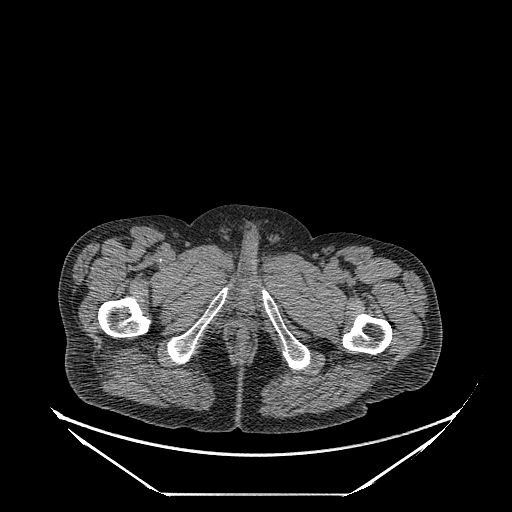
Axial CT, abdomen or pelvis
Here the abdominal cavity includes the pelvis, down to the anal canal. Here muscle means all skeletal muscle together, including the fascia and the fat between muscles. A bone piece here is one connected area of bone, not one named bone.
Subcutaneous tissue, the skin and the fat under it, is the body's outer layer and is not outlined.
The torso is outlined by 224 204; 276 208; 298 219; 313 236; 352 232; 399 245; 418 257; 433 281; 442 322; 441 351; 430 380; 368 404; 365 415; 351 421; 282 434; 172 429; 78 398; 64 369; 66 341; 57 299; 70 247; 107 221; 165 214; 191 222. The muscle is outlined by 133 225; 151 226; 187 248; 216 244; 231 252; 237 267; 247 273; 257 271; 267 255; 281 251; 319 265; 348 245; 387 250; 424 284; 429 310; 423 346; 372 390; 329 413; 280 419; 258 412; 262 388; 281 367; 281 356; 262 329; 252 361; 243 366; 231 363; 221 331; 205 342; 200 366; 216 395; 208 411; 116 398; 97 384; 88 340; 73 311; 70 283; 77 256; 87 244; 114 228 with holes at 126 295; 133 296; 136 299; 143 313; 150 319; 151 322; 147 332; 144 334; 138 335; 137 336; 133 336; 132 337; 115 338; 105 333; 105 332; 100 327; 97 319; 98 308; 103 302; 107 300; 118 299 and at 363 312; 364 313; 370 314; 376 317; 386 319; 390 323; 392 327; 392 338; 389 345; 383 351; 377 354; 369 354; 363 352; 356 352; 353 353; 348 349; 345 348; 342 345; 342 335; 345 332; 349 330; 352 325; 354 318; 358 314 and at 225 286; 228 286; 228 293; 225 302; 220 310; 213 317; 208 324; 203 332; 203 335; 199 338; 198 344; 194 353; 187 362; 183 364; 176 364; 171 360; 168 355; 166 347; 168 340; 172 336; 179 335; 186 331; 203 313; 213 297 and at 262 287; 269 293; 275 301; 284 322; 292 333; 309 349; 311 357; 310 362; 304 369; 294 370; 290 368; 288 366; 285 358; 282 355; 282 349; 283 348; 282 343; 265 310; 265 308; 263 306; 263 303; 261 299; 261 288 and at 241 298; 247 298; 253 304; 252 310; 254 314; 254 323; 255 324; 255 340; 254 341; 253 351; 249 359; 245 363; 236 362; 232 359; 225 331; 225 329; 230 322; 234 320; 239 312; 240 307; 238 305; 238 301. The abdominal cavity is outlined by 241 298; 247 298; 253 304; 252 310; 254 314; 254 323; 255 324; 255 340; 254 341; 253 351; 249 359; 245 363; 236 362; 232 359; 225 331; 225 329; 230 322; 234 320; 239 312; 240 307; 238 305; 238 301. The bones appear in 4 outlined pieces: piece 1: 126 295; 133 296; 136 299; 143 313; 150 319; 151 322; 147 332; 144 334; 138 335; 137 336; 133 336; 132 337; 115 338; 105 333; 105 332; 100 327; 97 319; 98 308; 103 302; 107 300; 118 299; piece 2: 363 312; 364 313; 370 314; 376 317; 386 319; 390 323; 392 327; 392 338; 389 345; 383 351; 377 354; 369 354; 363 352; 356 352; 353 353; 348 349; 345 348; 342 345; 342 335; 345 332; 349 330; 352 325; 354 318; 358 314; piece 3: 225 286; 228 286; 228 293; 225 302; 220 310; 213 317; 208 324; 203 332; 203 335; 199 338; 198 344; 194 353; 187 362; 183 364; 176 364; 171 360; 168 355; 166 347; 168 340; 172 336; 179 335; 186 331; 203 313; 213 297; piece 4: 262 287; 269 293; 275 301; 284 322; 292 333; 309 349; 311 357; 310 362; 304 369; 294 370; 290 368; 288 366; 285 358; 282 355; 282 349; 283 348; 282 343; 265 310; 265 308; 263 306; 263 303; 261 299; 261 288.